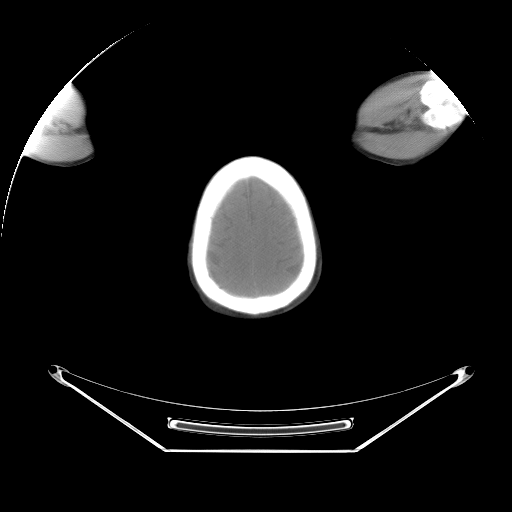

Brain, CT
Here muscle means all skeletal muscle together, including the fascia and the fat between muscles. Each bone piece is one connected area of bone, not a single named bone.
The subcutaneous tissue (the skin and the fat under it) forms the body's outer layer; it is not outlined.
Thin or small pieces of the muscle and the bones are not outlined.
{"head":[[[245,155],[259,155],[274,160],[294,176],[307,196],[313,210],[323,249],[323,267],[321,277],[317,287],[309,298],[301,305],[285,314],[261,320],[235,319],[215,313],[206,308],[198,299],[188,282],[184,261],[190,224],[206,183],[221,166],[234,158]]],"left_arm":[[[425,69],[434,72],[453,92],[467,111],[468,115],[462,122],[461,127],[439,151],[422,162],[413,166],[394,166],[386,164],[369,159],[356,151],[346,141],[344,134],[350,122],[350,114],[352,108],[358,100],[374,85],[391,76],[406,71]]],"bones":[{"outer":[[245,155],[259,155],[274,160],[281,164],[294,176],[307,198],[314,223],[316,238],[316,267],[314,275],[308,287],[288,305],[270,312],[259,314],[237,312],[209,299],[196,283],[191,267],[191,233],[195,211],[202,191],[210,177],[221,166],[234,158]],"hole":[[250,178],[257,178],[267,184],[277,192],[287,205],[294,219],[302,254],[299,270],[295,277],[285,288],[275,293],[261,294],[256,296],[235,294],[221,287],[212,277],[207,260],[208,247],[212,232],[212,223],[217,210],[237,182],[241,180],[247,180]]},[[440,78],[453,92],[461,102],[468,113],[468,115],[464,117],[457,125],[453,125],[450,127],[446,127],[444,129],[438,129],[427,125],[425,124],[420,118],[421,115],[427,110],[428,107],[420,101],[419,91],[422,85],[427,80],[439,79]]],"brain":[[[250,178],[257,178],[267,184],[277,192],[287,205],[294,219],[302,254],[299,270],[295,277],[285,288],[275,293],[261,294],[256,296],[235,294],[221,287],[212,277],[207,260],[208,247],[212,232],[212,223],[217,210],[237,182],[241,180],[247,180]]],"muscle":[[[417,72],[432,72],[439,78],[427,79],[418,91],[419,101],[427,107],[420,115],[420,120],[434,129],[444,130],[453,126],[456,126],[455,129],[431,150],[413,159],[388,158],[364,149],[357,142],[356,136],[360,127],[361,111],[366,101],[385,84]],[[68,84],[70,84],[73,89],[78,94],[79,100],[82,106],[82,127],[81,130],[85,133],[89,145],[89,153],[85,157],[81,159],[70,162],[46,162],[42,160],[36,159],[30,156],[23,150],[25,144],[37,122],[52,100]],[[316,233],[316,235],[317,236],[317,242],[318,243],[318,262],[317,263],[317,269],[315,273],[315,276],[314,277],[313,282],[308,291],[302,297],[289,305],[293,301],[299,297],[309,287],[315,275],[315,272],[317,267],[317,260],[318,259],[317,254],[317,238],[316,237]],[[189,250],[189,254],[190,255],[190,267],[191,268],[191,271],[192,272],[192,275],[193,276],[195,281],[195,283],[197,285],[198,288],[201,291],[201,292],[209,300],[223,307],[220,307],[208,301],[202,295],[202,294],[199,291],[198,288],[196,286],[195,284],[195,282],[193,279],[193,277],[192,276],[192,274],[191,273],[191,270],[190,269],[190,265],[189,264],[189,261],[188,260],[188,258],[189,257]]],"right_arm":[[[68,84],[71,84],[73,86],[75,85],[80,88],[88,97],[91,103],[92,108],[91,119],[93,127],[99,141],[100,145],[99,151],[89,161],[83,164],[72,167],[51,166],[34,160],[28,156],[25,155],[22,156],[25,144],[42,114],[57,94]]]}